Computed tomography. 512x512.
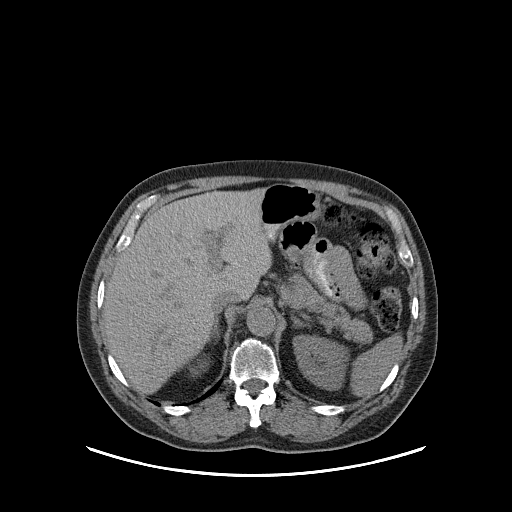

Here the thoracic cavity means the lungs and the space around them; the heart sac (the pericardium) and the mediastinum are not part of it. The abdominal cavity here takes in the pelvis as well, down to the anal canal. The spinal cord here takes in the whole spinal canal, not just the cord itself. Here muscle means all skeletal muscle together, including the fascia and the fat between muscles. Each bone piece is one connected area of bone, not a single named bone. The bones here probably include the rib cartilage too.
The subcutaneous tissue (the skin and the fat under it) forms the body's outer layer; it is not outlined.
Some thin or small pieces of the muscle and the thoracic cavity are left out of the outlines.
The torso is outlined by 233,159 300,160 350,170 387,186 413,214 435,275 437,348 421,387 401,415 378,437 341,449 309,453 280,453 253,447 216,452 185,450 130,428 92,382 78,346 76,302 84,265 110,214 132,187 157,172. The mediastinum is outlined by 256,305 269,306 275,313 275,316 277,320 277,326 273,334 273,345 271,346 255,337 246,337 235,347 233,347 231,345 231,333 233,329 234,322 237,316 241,312 243,312 245,310 251,308 252,306 255,306. The spinal cord is outlined by 250,379 260,379 261,380 262,380 265,382 265,385 264,386 264,387 263,388 262,388 256,395 251,395 249,393 249,392 245,388 244,388 244,387 243,386 243,384 244,383 244,382 245,382 246,381 247,381. The bones appear in 9 outlined pieces: piece 1: 246,338 258,339 272,348 280,378 280,381 273,385 276,393 275,402 274,404 261,405 259,409 261,424 256,428 252,428 249,425 249,409 235,402 235,385 233,382 229,382 227,377 230,370 232,352; inner edge: 250,379 260,379 261,380 262,380 265,382 265,385 264,386 264,387 263,388 262,388 256,395 251,395 249,393 249,392 245,388 244,388 244,387 243,386 243,384 244,383 244,382 245,382 246,381 247,381; piece 2: 152,194 159,194 159,197 156,200 156,201 154,202 142,214 133,232 133,235 129,243 123,249 122,249 119,252 117,252 115,249 115,245 120,235 122,233 130,216 135,210 135,208 136,207 137,203; piece 3: 385,206 390,208 396,214 400,222 402,228 402,233 405,238 405,240 413,258 413,265 411,267 406,267 402,262 402,260 398,254 399,238 398,235 395,233 395,231 392,228 391,223 386,215 384,208; piece 4: 324,404 335,404 336,405 340,405 341,404 344,404 345,406 345,409 342,412 340,412 337,414 334,414 333,415 324,415 323,414 320,414 319,413 317,413 313,411 310,408 310,407 312,405 323,405; piece 5: 109,353 110,353 111,354 111,355 115,360 115,361 116,362 119,369 121,371 123,376 129,384 129,386 126,386 125,385 124,385 113,374 113,373 109,366 109,363 108,362 108,360 107,359 107,355; piece 6: 163,405 186,405 187,406 188,406 191,409 191,410 189,412 188,412 185,414 183,414 182,415 173,415 172,414 170,414 169,413 167,413 166,412 165,412 164,411 164,410 162,407 162,406; piece 7: 395,363 397,363 399,367 398,368 398,371 396,374 396,376 395,378 390,384 390,385 389,385 382,391 379,391 379,388 380,386 382,384 384,380 387,377 388,374 390,372 391,369 393,367; piece 8: 102,279 103,279 104,280 104,291 103,292 103,302 102,303 102,305 101,306 101,307 100,308 98,308 98,307 97,306 97,291 98,290 98,287 99,286 99,283 100,282 100,281; piece 9: 415,295 417,297 417,300 418,301 418,314 417,315 417,318 416,319 413,319 413,318 412,317 412,316 411,315 411,304 412,303 412,299 413,298 413,296 414,296. The muscle is outlined by 224,175 306,178 355,187 394,205 402,214 415,242 423,269 426,313 423,335 404,386 387,407 332,438 316,442 293,441 259,427 262,424 262,405 274,405 276,402 274,385 281,381 281,377 296,395 306,401 323,404 312,404 309,408 324,416 342,413 346,409 345,404 368,398 378,390 382,392 397,376 398,358 406,343 411,318 418,318 419,301 413,295 412,275 408,268 414,265 414,258 397,214 386,205 383,208 385,214 374,204 323,188 293,181 260,180 182,192 151,207 160,197 159,193 152,193 136,203 114,245 118,253 107,279 105,283 102,278 98,283 96,306 101,308 103,332 110,352 106,359 112,374 124,386 154,405 162,405 165,413 182,416 192,410 190,405 213,394 226,377 234,385 234,402 248,409 251,428 225,440 209,443 174,436 122,402 105,379 91,333 89,301 98,261 115,225 128,206 145,192 183,180. The abdominal cavity is outlined by 260,181 323,189 374,205 385,215 411,275 411,317 397,362 368,397 340,404 306,400 280,376 272,347 276,313 256,304 233,322 227,375 195,403 143,398 131,388 104,332 105,284 118,254 142,216 165,199. The thoracic cavity is outlined by 220,380 221,381 222,380 221,384 219,386 219,387 213,393 212,393 210,395 207,396 205,398 197,402 194,402 195,402 196,400 199,399 204,394 205,394 206,392 207,392 208,390 210,389 210,388 211,388.